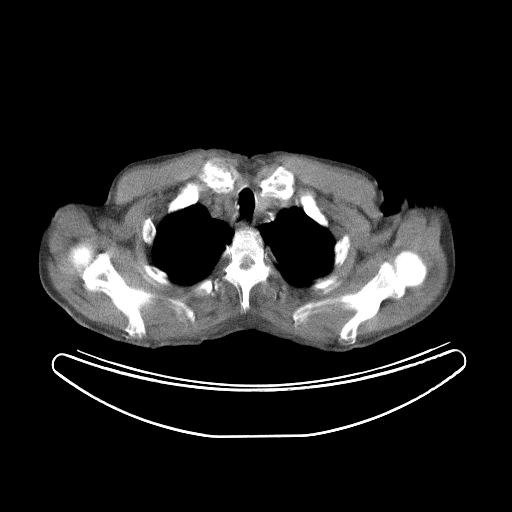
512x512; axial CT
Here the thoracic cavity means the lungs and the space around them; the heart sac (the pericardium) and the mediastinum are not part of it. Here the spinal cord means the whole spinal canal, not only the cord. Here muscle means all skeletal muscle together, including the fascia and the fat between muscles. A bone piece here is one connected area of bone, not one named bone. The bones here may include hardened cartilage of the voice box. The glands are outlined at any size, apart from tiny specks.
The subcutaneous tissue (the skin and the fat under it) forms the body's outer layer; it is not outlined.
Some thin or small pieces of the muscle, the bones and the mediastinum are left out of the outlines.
mediastinum: (243, 184) (260, 190) (256, 200) (257, 212) (265, 210) (272, 203) (268, 198) (289, 202) (295, 205) (282, 209) (272, 221) (261, 224) (258, 229) (247, 226) (234, 230) (226, 222) (213, 218) (206, 208) (197, 202) (200, 198) (206, 195) (214, 193) (229, 193) (236, 187)
bones 1: (402, 250) (411, 250) (422, 258) (427, 269) (423, 282) (407, 287) (400, 298) (384, 299) (377, 312) (359, 324) (354, 343) (341, 340) (339, 335) (355, 312) (344, 308) (340, 302) (313, 307) (295, 326) (292, 315) (299, 306) (356, 292) (377, 273) (384, 261) (391, 262)
bones 2: (81, 242) (91, 244) (95, 254) (108, 252) (114, 268) (128, 285) (141, 287) (147, 291) (156, 293) (157, 296) (140, 309) (146, 330) (141, 338) (131, 337) (124, 330) (128, 319) (107, 294) (102, 291) (87, 290) (85, 288) (84, 281) (68, 260) (70, 249)
bones 3: (247, 227) (259, 231) (276, 259) (279, 273) (270, 275) (267, 283) (257, 283) (250, 289) (249, 308) (244, 312) (240, 304) (241, 288) (229, 282) (224, 281) (213, 296) (195, 295) (192, 289) (199, 281) (207, 277) (219, 277) (224, 273) (221, 254) (231, 242) (235, 231), around a hole outlined by (244, 260) (251, 260) (252, 261) (252, 262) (249, 265) (249, 266) (248, 267) (247, 267) (246, 268) (244, 268) (243, 267) (242, 267) (242, 266) (241, 265) (243, 263) (243, 262) (244, 261)
bones 4: (214, 157) (221, 157) (231, 166) (238, 169) (238, 172) (241, 177) (235, 182) (234, 189) (229, 192) (217, 193) (205, 186) (200, 192) (199, 198) (195, 203) (176, 211) (167, 213) (169, 203) (178, 194) (180, 189) (189, 181) (197, 181) (198, 175) (201, 172) (205, 161)
bones 5: (280, 165) (292, 172) (294, 176) (294, 187) (296, 196) (299, 192) (302, 191) (307, 190) (311, 192) (317, 206) (328, 222) (327, 227) (320, 225) (308, 216) (301, 205) (295, 204) (292, 198) (288, 201) (284, 201) (260, 194) (261, 189) (258, 185) (260, 180) (266, 174)
bones 6: (144, 262) (150, 265) (153, 265) (159, 268) (161, 270) (164, 271) (168, 275) (168, 277) (171, 283) (169, 285) (153, 285) (149, 282) (148, 282) (142, 276) (142, 275) (140, 273) (140, 272) (137, 268) (137, 267) (141, 263) (143, 263)
bones 7: (330, 274) (335, 274) (337, 275) (338, 278) (341, 281) (341, 283) (337, 287) (336, 287) (330, 292) (326, 294) (324, 294) (323, 292) (320, 289) (317, 289) (316, 290) (314, 290) (310, 287) (310, 285) (316, 279) (318, 278) (322, 278)
bones 8: (345, 234) (347, 234) (349, 236) (349, 238) (350, 239) (350, 246) (348, 250) (348, 253) (343, 263) (341, 265) (339, 265) (338, 266) (335, 266) (333, 264) (334, 262) (334, 245) (336, 241) (340, 239)
bones 9: (147, 217) (149, 217) (151, 219) (151, 220) (153, 222) (153, 223) (156, 227) (156, 234) (153, 240) (153, 243) (152, 245) (148, 245) (143, 240) (142, 238) (142, 235) (141, 234) (141, 226) (142, 225) (142, 222) (144, 220) (144, 219) (145, 219)
bones 10: (168, 298) (177, 298) (178, 299) (183, 299) (185, 301) (185, 302) (192, 309) (192, 310) (194, 313) (194, 315) (195, 316) (195, 319) (194, 320) (194, 322) (193, 323) (192, 323) (183, 312) (181, 312) (180, 313) (180, 314) (177, 314) (174, 310) (174, 306) (168, 300)
thoracic cavity 1: (196, 203) (199, 203) (203, 206) (213, 219) (226, 223) (233, 229) (234, 232) (230, 242) (224, 246) (220, 254) (218, 262) (206, 277) (190, 284) (181, 284) (172, 281) (169, 275) (164, 270) (152, 264) (151, 249) (157, 234) (156, 226) (160, 221) (167, 214) (184, 209)
thoracic cavity 2: (294, 206) (300, 207) (308, 217) (320, 226) (327, 228) (335, 241) (333, 245) (333, 265) (331, 269) (327, 274) (316, 278) (308, 285) (298, 285) (290, 281) (282, 273) (276, 265) (277, 259) (275, 255) (270, 247) (266, 245) (259, 230) (261, 225) (272, 222) (282, 210)
left arm: (404, 196) (408, 199) (410, 204) (417, 204) (418, 205) (441, 204) (444, 205) (447, 207) (450, 216) (456, 255) (455, 277) (453, 285) (447, 297) (437, 309) (429, 307) (415, 299) (403, 285) (396, 270) (395, 261) (393, 258) (389, 244) (386, 219) (387, 214) (398, 209)
thyroid glands: (259, 195) (260, 195) (261, 196) (264, 196) (266, 198) (269, 199) (270, 200) (271, 203) (265, 209) (264, 209) (263, 210) (261, 210) (260, 211) (257, 211) (257, 207) (258, 206) (258, 205) (257, 204) (257, 200) (258, 199) (258, 196)
spinal cord: (244, 260) (251, 260) (252, 261) (252, 262) (249, 265) (249, 266) (248, 267) (247, 267) (246, 268) (244, 268) (243, 267) (242, 267) (242, 266) (241, 265) (243, 263) (243, 262) (244, 261)
torso: (192, 145) (220, 146) (248, 156) (299, 150) (375, 176) (383, 192) (397, 276) (415, 300) (436, 310) (395, 335) (346, 352) (325, 352) (253, 330) (197, 346) (151, 349) (114, 341) (76, 323) (42, 287) (59, 277) (79, 252) (90, 205) (104, 202) (113, 177) (127, 162)
muscle 1: (197, 150) (233, 154) (246, 162) (283, 153) (295, 154) (360, 173) (375, 188) (375, 204) (382, 220) (395, 220) (415, 207) (432, 208) (440, 214) (440, 242) (447, 259) (447, 277) (440, 294) (414, 319) (356, 342) (358, 327) (378, 312) (384, 300) (400, 299) (407, 288) (420, 286) (427, 276) (423, 258) (411, 249) (402, 249) (391, 261) (384, 260) (376, 273) (356, 291) (307, 301) (292, 312) (296, 327) (312, 313) (313, 308) (329, 303) (342, 304) (344, 309) (354, 311) (338, 334) (340, 340) (349, 345) (311, 343) (275, 332) (246, 315) (230, 320) (221, 329) (201, 338) (168, 341) (131, 340) (82, 317) (60, 296) (47, 275) (48, 231) (58, 211) (72, 204) (90, 216) (108, 216) (114, 210) (117, 182) (126, 170) with holes at (214, 157) (238, 169) (241, 177) (235, 188) (245, 184) (260, 190) (260, 180) (281, 165) (294, 176) (296, 196) (311, 192) (334, 240) (345, 234) (350, 239) (343, 263) (327, 273) (337, 275) (337, 287) (324, 294) (290, 281) (280, 270) (250, 289) (249, 308) (243, 312) (241, 288) (229, 282) (213, 296) (195, 295) (196, 282) (153, 285) (142, 276) (137, 267) (152, 264) (142, 222) (149, 217) (156, 226) (180, 189) (197, 181) (205, 161) and at (81, 242) (91, 244) (95, 254) (108, 252) (114, 268) (128, 285) (141, 287) (147, 291) (156, 293) (157, 296) (140, 309) (146, 330) (141, 338) (131, 337) (124, 330) (128, 319) (107, 294) (102, 291) (87, 290) (85, 288) (84, 281) (68, 260) (70, 249) and at (168, 298) (177, 298) (178, 299) (183, 299) (185, 301) (185, 302) (192, 309) (192, 310) (194, 313) (194, 315) (195, 316) (195, 319) (194, 320) (194, 322) (193, 323) (192, 323) (183, 312) (181, 312) (180, 313) (180, 314) (177, 314) (174, 310) (174, 306) (168, 300) and at (283, 286) (285, 286) (285, 287) (286, 288) (286, 289) (285, 290) (285, 295) (283, 297) (282, 297) (279, 294) (279, 293) (282, 290) (282, 287)
muscle 2: (220, 260) (221, 261) (221, 270) (222, 271) (222, 272) (223, 273) (221, 275) (220, 275) (219, 276) (214, 276) (213, 277) (212, 276) (208, 276) (212, 272) (212, 271) (215, 268) (215, 267) (217, 265) (217, 264) (219, 262) (219, 261)
muscle 3: (205, 187) (206, 188) (208, 188) (209, 189) (210, 189) (213, 192) (213, 193) (211, 193) (210, 194) (206, 194) (205, 195) (204, 195) (203, 196) (202, 196) (201, 197) (200, 197) (200, 194) (201, 193) (201, 192) (204, 189) (204, 188)
right arm: (66, 203) (87, 203) (90, 204) (88, 211) (88, 221) (87, 222) (86, 231) (83, 237) (82, 244) (69, 266) (59, 276) (42, 286) (38, 275) (38, 266) (37, 265) (37, 253) (38, 252) (38, 243) (39, 242) (40, 235) (44, 225) (48, 220) (48, 218) (54, 209)